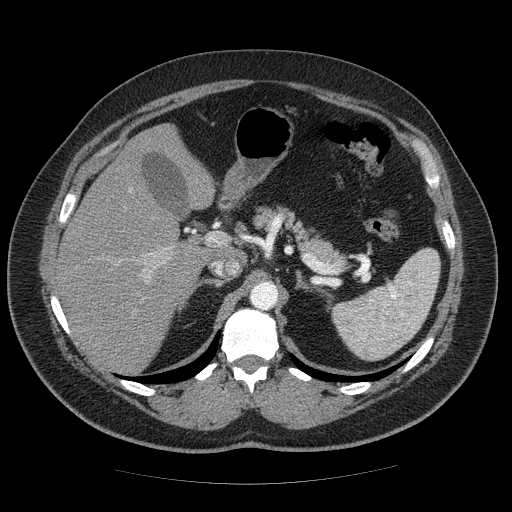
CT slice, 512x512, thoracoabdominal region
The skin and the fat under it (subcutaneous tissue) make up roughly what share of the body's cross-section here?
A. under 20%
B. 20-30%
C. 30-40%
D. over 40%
Answer: B. 20-30%
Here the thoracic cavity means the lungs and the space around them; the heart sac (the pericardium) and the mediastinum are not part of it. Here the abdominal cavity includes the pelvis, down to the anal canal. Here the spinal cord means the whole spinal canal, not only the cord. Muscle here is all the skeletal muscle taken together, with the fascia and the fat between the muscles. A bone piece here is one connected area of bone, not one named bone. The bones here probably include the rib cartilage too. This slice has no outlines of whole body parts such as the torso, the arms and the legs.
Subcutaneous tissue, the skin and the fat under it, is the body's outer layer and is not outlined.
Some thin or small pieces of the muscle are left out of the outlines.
{"mediastinum":[[[265,281],[272,281],[276,285],[277,298],[276,299],[275,307],[274,308],[275,321],[272,316],[270,316],[268,314],[254,308],[241,308],[238,310],[235,310],[234,309],[234,307],[236,305],[237,301],[240,298],[250,291],[255,285],[258,283],[261,283]]],"bones":[{"outer":[[241,309],[254,309],[272,317],[276,324],[278,334],[279,349],[268,363],[269,368],[266,378],[258,380],[254,384],[252,393],[249,391],[247,384],[243,380],[236,380],[232,377],[230,366],[226,361],[224,354],[220,350],[222,330],[226,320],[235,311]],"hole":[[246,355],[255,355],[256,356],[258,356],[259,357],[260,357],[263,361],[263,364],[260,365],[253,372],[252,372],[251,373],[248,373],[246,371],[245,371],[240,366],[239,366],[236,362],[238,360],[238,359],[239,359],[243,356],[245,356]]},[[404,135],[407,135],[408,136],[415,136],[416,137],[420,138],[425,142],[426,145],[428,147],[435,160],[436,166],[440,175],[440,184],[439,185],[439,187],[437,189],[433,189],[430,187],[426,182],[420,157],[410,146],[410,144],[408,140],[404,137]],[[429,335],[433,335],[434,336],[434,340],[428,352],[425,355],[425,356],[414,367],[413,367],[405,373],[401,373],[400,372],[400,369],[406,363],[406,362],[411,357],[411,356],[420,347],[422,343]],[[71,188],[74,188],[77,190],[79,195],[78,196],[78,199],[73,208],[73,210],[67,218],[65,223],[62,226],[60,224],[58,220],[58,218],[59,217],[59,214],[60,213],[60,210],[61,209],[61,206],[62,205],[63,200],[66,194]],[[119,378],[122,378],[123,379],[127,379],[131,381],[134,381],[135,382],[138,382],[139,383],[147,385],[149,387],[153,388],[155,390],[155,393],[149,396],[145,396],[144,395],[141,395],[140,394],[132,392],[123,387],[123,386],[120,383],[118,379]],[[51,293],[53,293],[57,296],[57,298],[59,301],[59,303],[61,306],[61,308],[63,311],[63,313],[67,321],[69,329],[71,331],[71,335],[68,335],[64,331],[64,330],[60,325],[59,322],[57,320],[53,312],[53,310],[50,303],[50,294]],[[362,381],[370,381],[372,382],[371,386],[365,392],[363,392],[362,393],[358,393],[357,394],[354,394],[353,395],[348,395],[347,394],[341,393],[337,390],[339,387],[343,385],[345,385],[346,384],[350,384],[351,383],[355,383],[356,382],[361,382]],[[443,219],[446,219],[449,222],[455,237],[455,247],[453,251],[453,254],[451,256],[450,256],[450,254],[448,252],[448,250],[445,245],[445,242],[444,241],[444,238],[443,237],[443,234],[441,229],[441,222]],[[115,140],[118,140],[119,141],[116,144],[116,145],[107,154],[106,154],[103,157],[101,157],[98,160],[98,161],[97,162],[93,162],[91,164],[86,164],[86,163],[100,149],[101,149],[103,147],[104,147],[109,143],[110,143],[111,142],[112,142]],[[213,360],[216,360],[217,361],[218,361],[219,364],[218,365],[218,366],[217,366],[213,370],[211,375],[210,375],[208,377],[207,377],[203,380],[198,380],[197,379],[194,378],[194,376],[198,372],[199,372],[203,368],[204,368],[209,363],[210,363]],[[289,366],[294,366],[295,367],[298,368],[300,370],[303,371],[305,373],[308,374],[313,378],[311,380],[309,380],[308,381],[305,381],[304,380],[299,379],[297,377],[296,377],[295,376],[294,376],[292,374],[291,374],[288,371],[287,368]]],"spinal_cord":[[[246,355],[255,355],[256,356],[258,356],[259,357],[260,357],[263,361],[263,364],[260,365],[253,372],[252,372],[251,373],[248,373],[246,371],[245,371],[240,366],[239,366],[236,362],[238,360],[238,359],[239,359],[243,356],[245,356]]],"thoracic_cavity":[[[219,330],[221,331],[221,336],[219,348],[215,355],[210,362],[192,377],[169,383],[145,384],[127,378],[117,377],[114,374],[129,377],[149,376],[154,374],[159,374],[162,372],[167,372],[184,366],[186,364],[189,364],[208,348],[214,338],[214,336]],[[289,354],[293,354],[304,364],[312,368],[332,374],[339,374],[346,376],[359,376],[379,372],[397,364],[410,356],[410,357],[403,365],[379,379],[373,381],[362,380],[350,383],[345,383],[338,381],[328,381],[313,377],[295,366],[289,359],[288,357]]],"muscle":[{"outer":[[236,78],[276,79],[277,80],[288,80],[289,81],[296,81],[311,84],[325,89],[347,94],[360,99],[371,101],[392,114],[404,119],[417,127],[429,137],[441,157],[444,167],[447,172],[447,175],[449,178],[454,199],[454,205],[461,226],[463,261],[464,262],[464,280],[461,291],[460,302],[458,306],[458,311],[456,314],[454,322],[454,327],[452,332],[452,340],[449,344],[448,349],[431,368],[416,378],[405,388],[399,390],[389,397],[381,399],[377,402],[375,402],[345,417],[310,428],[290,429],[282,427],[280,425],[277,425],[275,423],[266,419],[254,410],[248,410],[243,415],[235,419],[222,428],[214,430],[207,430],[206,431],[184,428],[169,424],[154,418],[140,410],[134,405],[122,399],[114,393],[107,391],[94,381],[81,374],[64,358],[54,339],[54,336],[51,330],[50,320],[48,318],[47,310],[43,302],[38,286],[38,260],[39,259],[39,253],[41,249],[44,222],[50,207],[58,192],[66,168],[76,152],[86,142],[108,125],[151,100],[188,87],[213,82],[218,80],[235,79]],"holes":[[[256,83],[308,92],[376,118],[418,161],[404,135],[425,142],[440,175],[439,187],[428,187],[439,228],[446,219],[455,237],[429,332],[433,343],[407,372],[399,367],[353,395],[337,390],[344,382],[294,376],[287,369],[294,365],[280,347],[252,393],[232,377],[219,348],[212,359],[219,364],[205,379],[148,384],[155,390],[149,396],[132,392],[64,331],[53,312],[63,200],[71,188],[79,195],[144,122],[204,96]],[[115,140],[118,140],[119,141],[116,144],[116,145],[107,154],[106,154],[103,157],[101,157],[98,160],[98,161],[97,162],[93,162],[91,164],[86,164],[86,163],[100,149],[101,149],[103,147],[104,147],[109,143],[110,143],[111,142],[112,142]]]}],"abdominal_cavity":[[[256,83],[308,92],[376,118],[420,160],[449,254],[435,322],[411,355],[389,367],[332,373],[280,347],[277,285],[265,280],[236,301],[222,329],[189,363],[149,375],[112,373],[76,341],[58,298],[54,268],[62,228],[86,182],[132,130],[204,96]]]}